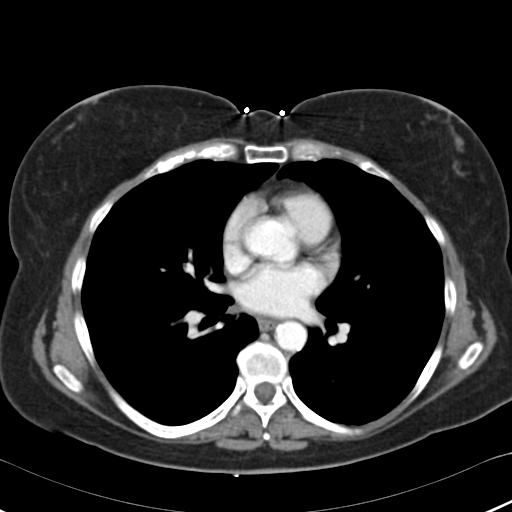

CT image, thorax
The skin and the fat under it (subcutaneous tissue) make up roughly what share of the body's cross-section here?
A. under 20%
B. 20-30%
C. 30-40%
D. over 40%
C. 30-40%
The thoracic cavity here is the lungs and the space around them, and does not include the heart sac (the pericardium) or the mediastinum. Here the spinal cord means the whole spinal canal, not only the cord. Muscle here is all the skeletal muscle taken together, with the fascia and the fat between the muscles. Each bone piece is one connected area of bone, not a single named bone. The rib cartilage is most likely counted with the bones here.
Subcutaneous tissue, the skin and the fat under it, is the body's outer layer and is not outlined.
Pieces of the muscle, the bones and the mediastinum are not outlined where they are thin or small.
{"torso":[[[135,84],[202,89],[227,98],[242,114],[266,109],[280,116],[318,94],[389,88],[421,95],[460,116],[490,153],[507,199],[511,401],[375,457],[258,474],[143,463],[22,417],[0,388],[0,315],[18,267],[7,221],[16,170],[40,131],[66,108]]],"pericardium":[[[273,179],[289,179],[303,182],[318,192],[329,205],[340,233],[341,257],[335,277],[316,298],[313,305],[297,317],[273,317],[248,311],[236,300],[233,295],[228,292],[228,289],[226,288],[226,279],[223,274],[222,244],[224,228],[228,218],[243,196]]],"muscle":[{"outer":[[214,137],[254,143],[217,141],[159,159],[141,182],[95,209],[88,225],[93,235],[87,256],[80,254],[71,270],[71,291],[80,294],[82,309],[73,314],[77,340],[89,364],[94,367],[97,362],[112,386],[107,387],[109,397],[130,421],[151,435],[175,439],[209,428],[230,412],[235,416],[244,405],[259,416],[265,429],[271,416],[289,403],[318,427],[359,435],[364,429],[350,425],[373,421],[404,398],[402,407],[407,406],[431,379],[444,349],[438,342],[444,317],[454,314],[457,302],[455,282],[444,275],[440,247],[446,241],[438,221],[428,213],[423,216],[395,187],[392,177],[372,161],[355,155],[348,161],[341,159],[340,150],[311,141],[272,144],[292,138],[313,138],[366,155],[401,181],[441,222],[463,264],[468,299],[478,310],[480,299],[495,322],[498,338],[487,359],[461,382],[381,432],[356,440],[312,441],[290,451],[268,445],[241,451],[211,442],[158,442],[112,424],[54,387],[32,356],[32,336],[45,308],[47,319],[54,318],[64,265],[88,215],[114,187],[164,153]],"holes":[[[55,364],[61,364],[62,365],[63,365],[72,374],[73,374],[78,380],[79,380],[81,382],[81,383],[83,386],[83,388],[80,392],[75,392],[74,391],[71,390],[68,387],[67,387],[59,379],[59,378],[54,373],[54,372],[53,371],[53,366]],[[476,341],[480,341],[482,342],[483,344],[483,347],[482,348],[482,350],[480,352],[480,353],[478,355],[476,359],[467,368],[465,369],[460,369],[457,366],[457,362],[458,360],[464,353],[467,347],[470,344]],[[265,431],[266,431],[267,432],[268,433],[269,434],[269,435],[270,436],[270,437],[269,438],[269,439],[268,440],[267,440],[266,440],[265,440],[264,439],[263,438],[263,437],[262,436],[263,435],[263,434],[263,433],[264,432]]]}],"mediastinum":[[[234,298],[248,312],[273,318],[297,318],[309,310],[314,305],[315,301],[315,308],[321,316],[318,315],[313,318],[311,325],[307,329],[307,340],[304,346],[288,361],[276,346],[257,339],[259,330],[256,320],[245,312],[238,314],[233,307],[235,302]],[[278,163],[285,163],[285,164],[278,170],[278,171],[276,174],[276,177],[278,179],[282,179],[283,178],[289,178],[284,178],[283,179],[275,179],[274,178],[273,178],[272,179],[270,179],[269,180],[264,182],[259,187],[258,187],[278,168]]],"spinal_cord":[[[263,382],[267,382],[268,383],[271,384],[273,386],[273,387],[274,388],[274,393],[273,394],[272,397],[267,402],[266,402],[265,403],[262,402],[256,396],[256,395],[255,394],[255,389],[256,388],[256,387],[259,384],[260,384]]],"thoracic_cavity":[[[198,159],[270,162],[277,163],[277,168],[242,196],[222,233],[223,290],[233,298],[238,315],[245,313],[255,320],[258,335],[235,358],[238,374],[230,394],[200,418],[168,425],[133,407],[108,380],[95,356],[81,292],[92,238],[113,205],[143,181]],[[323,158],[347,161],[390,182],[423,217],[442,258],[444,316],[437,343],[408,393],[383,415],[358,425],[331,421],[310,408],[289,372],[289,360],[305,346],[314,318],[322,316],[316,300],[336,277],[342,239],[325,198],[305,182],[277,174],[289,161]]],"bones":[{"outer":[[255,340],[273,345],[287,359],[293,389],[310,409],[331,422],[360,427],[362,433],[318,426],[288,402],[265,428],[244,404],[235,415],[230,411],[209,427],[165,438],[130,420],[108,393],[112,387],[160,424],[193,422],[231,394],[239,374],[236,358]],"hole":[[263,382],[267,382],[268,383],[271,384],[273,386],[273,387],[274,388],[274,393],[273,394],[272,397],[267,402],[266,402],[265,403],[262,402],[256,396],[256,395],[255,394],[255,389],[256,388],[256,387],[259,384],[260,384]]},[[238,141],[241,147],[247,144],[286,146],[289,142],[311,142],[322,145],[330,151],[340,151],[341,155],[339,157],[252,163],[245,162],[241,157],[236,160],[198,158],[141,181],[143,175],[159,160],[191,148],[199,148],[217,142],[233,143]],[[438,343],[442,344],[443,346],[443,349],[442,350],[442,353],[441,354],[440,360],[434,372],[432,374],[430,379],[428,381],[424,388],[420,392],[420,393],[410,403],[403,407],[404,405],[404,400],[406,396],[414,386],[422,370],[427,363],[436,345]],[[76,310],[80,310],[82,312],[83,317],[85,320],[85,323],[89,334],[89,337],[92,345],[94,356],[96,360],[96,362],[94,366],[92,366],[90,364],[86,355],[84,353],[80,345],[80,343],[78,340],[78,338],[74,328],[74,314]],[[55,364],[61,364],[62,365],[63,365],[72,374],[73,374],[78,380],[79,380],[81,382],[81,383],[83,386],[83,388],[80,392],[75,392],[74,391],[71,390],[68,387],[67,387],[59,379],[59,378],[54,373],[54,372],[53,371],[53,366]],[[80,255],[84,255],[86,258],[86,260],[85,261],[85,271],[84,272],[84,276],[83,277],[81,291],[80,293],[78,292],[77,293],[74,293],[72,291],[72,288],[71,287],[71,276],[72,275],[72,270],[73,269],[74,264],[76,261],[76,259]],[[445,276],[448,276],[449,277],[450,277],[453,280],[453,281],[454,282],[454,284],[455,285],[455,289],[456,290],[456,302],[455,303],[455,308],[454,309],[454,312],[452,315],[446,315],[445,314],[445,304],[444,303],[444,280],[445,279]],[[476,341],[480,341],[482,342],[483,344],[483,347],[482,348],[482,350],[480,352],[480,353],[478,355],[476,359],[467,368],[465,369],[460,369],[457,366],[457,362],[458,360],[464,353],[467,347],[470,344]],[[352,156],[358,157],[362,160],[367,160],[368,161],[372,162],[379,168],[380,168],[383,171],[384,171],[387,174],[388,174],[391,177],[392,181],[391,182],[382,177],[380,177],[377,175],[369,173],[363,170],[357,165],[350,162],[349,161],[349,158]],[[111,198],[115,198],[115,201],[114,203],[112,205],[112,206],[110,208],[110,209],[108,211],[108,212],[106,214],[104,218],[98,225],[94,233],[93,234],[91,234],[89,232],[89,225],[90,224],[91,218],[94,212],[96,210],[96,209],[105,201]],[[425,214],[428,214],[429,215],[432,216],[437,221],[437,222],[441,229],[441,231],[443,234],[443,236],[444,237],[444,240],[445,241],[445,243],[443,246],[440,246],[439,245],[439,244],[437,242],[436,239],[430,231],[430,230],[424,219],[424,215]]]}